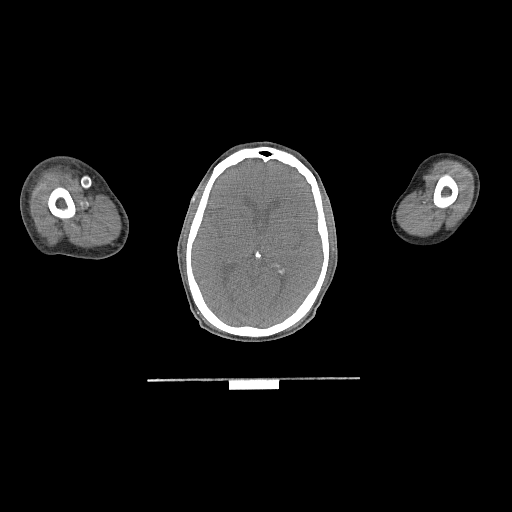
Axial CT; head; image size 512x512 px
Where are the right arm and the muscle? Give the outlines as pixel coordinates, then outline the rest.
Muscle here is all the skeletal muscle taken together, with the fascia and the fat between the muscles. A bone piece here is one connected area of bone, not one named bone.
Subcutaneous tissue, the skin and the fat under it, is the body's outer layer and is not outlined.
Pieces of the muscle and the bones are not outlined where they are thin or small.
{"right_arm":[[[54,155],[73,156],[89,164],[101,174],[111,190],[122,204],[129,219],[129,233],[124,246],[117,253],[109,257],[96,260],[75,258],[61,254],[48,255],[41,253],[30,240],[22,222],[20,214],[19,198],[21,188],[27,175],[32,168],[43,159]]],"muscle":[{"outer":[[56,165],[67,166],[72,169],[83,171],[93,177],[93,181],[97,184],[100,191],[107,195],[114,203],[122,224],[121,233],[114,242],[114,245],[82,248],[69,243],[61,243],[50,247],[40,241],[28,210],[29,190],[34,183],[34,179],[42,170]],"hole":[[60,186],[61,187],[65,188],[69,192],[75,204],[75,207],[76,208],[76,212],[75,214],[71,218],[66,218],[65,219],[59,218],[55,216],[53,214],[52,214],[52,213],[50,211],[48,207],[48,198],[49,197],[50,193],[55,188],[59,187]]},{"outer":[[442,158],[450,158],[459,161],[465,165],[472,173],[474,180],[474,195],[471,205],[465,215],[451,230],[447,231],[441,230],[428,237],[417,237],[409,235],[403,231],[396,222],[395,216],[397,208],[400,202],[422,183],[421,177],[431,166],[431,164]],"hole":[[444,174],[448,174],[453,178],[453,179],[455,181],[457,185],[457,190],[458,191],[457,192],[457,196],[455,200],[449,206],[445,208],[439,208],[437,207],[433,202],[433,193],[434,192],[434,190],[435,189],[435,186],[437,183],[438,179],[442,175]]},[[321,190],[326,201],[328,213],[330,218],[330,222],[331,223],[331,227],[332,228],[332,236],[333,237],[333,257],[332,258],[332,263],[331,264],[327,282],[321,291],[327,273],[328,264],[330,258],[329,233],[326,222],[326,217],[324,212]],[[207,179],[191,220],[186,239],[184,259],[185,260],[185,273],[186,274],[187,284],[186,277],[183,271],[184,268],[182,261],[182,241],[187,221],[189,218],[189,215],[191,212],[192,207],[197,198],[197,195],[201,187]],[[309,312],[309,313],[304,318],[304,319],[300,323],[299,323],[296,326],[295,326],[294,327],[293,327],[290,329],[288,329],[287,330],[285,330],[288,329],[290,327],[291,327],[293,325],[294,325],[297,322],[298,322],[301,319],[302,319]],[[197,309],[198,310],[198,311],[200,313],[200,314],[211,325],[212,325],[215,328],[216,328],[217,329],[216,329],[215,328],[213,328],[212,327],[211,327],[209,325],[208,325],[204,321],[204,320],[202,318],[202,317],[200,315],[200,314],[197,311]]],"bones":[{"outer":[[255,146],[271,146],[285,150],[296,156],[313,173],[321,194],[329,242],[329,258],[326,273],[320,291],[309,311],[288,328],[271,335],[259,337],[240,336],[219,330],[201,314],[195,305],[189,290],[185,259],[190,226],[214,166],[229,154],[238,149]],"hole":[[255,158],[264,162],[277,160],[294,168],[303,176],[310,186],[316,214],[316,230],[322,253],[321,265],[316,280],[299,305],[281,321],[265,327],[248,324],[232,325],[223,321],[207,304],[196,280],[192,265],[193,244],[215,181],[226,169],[245,159]]},[[60,186],[61,187],[65,188],[69,192],[75,204],[75,207],[76,208],[76,212],[75,214],[71,218],[66,218],[65,219],[59,218],[55,216],[53,214],[52,214],[52,213],[50,211],[48,207],[48,198],[49,197],[50,193],[55,188],[59,187]],[[444,174],[448,174],[453,178],[453,179],[455,181],[457,185],[457,190],[458,191],[457,192],[457,196],[455,200],[449,206],[445,208],[439,208],[437,207],[433,202],[433,193],[434,192],[434,190],[435,189],[435,186],[437,183],[438,179],[442,175]]],"left_arm":[[[442,151],[448,151],[459,154],[467,158],[475,166],[478,172],[480,183],[479,195],[477,202],[473,211],[467,219],[450,237],[444,241],[433,245],[410,244],[402,240],[394,232],[390,220],[392,208],[398,197],[407,187],[418,165],[426,157],[434,153]]],"head":[[[257,140],[274,141],[298,150],[318,172],[329,198],[333,214],[337,238],[337,264],[332,281],[315,315],[302,328],[278,339],[248,342],[232,340],[215,335],[199,325],[190,310],[182,285],[178,267],[177,242],[190,200],[210,164],[229,147],[237,143]]],"brain":[[[255,158],[264,162],[277,160],[294,168],[303,176],[310,186],[316,214],[316,230],[322,253],[321,265],[316,280],[299,305],[281,321],[265,327],[248,324],[232,325],[223,321],[207,304],[196,280],[192,265],[193,244],[215,181],[226,169],[245,159]]]}